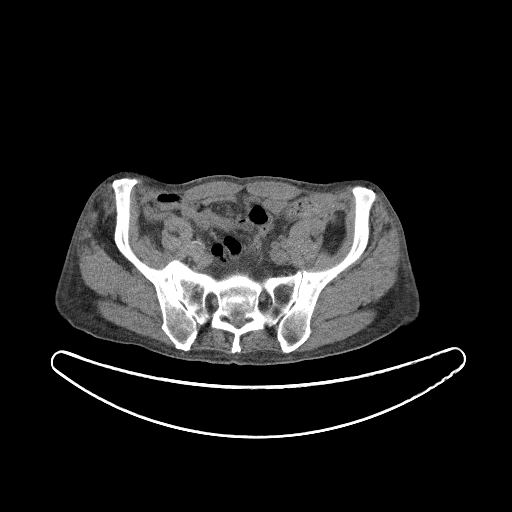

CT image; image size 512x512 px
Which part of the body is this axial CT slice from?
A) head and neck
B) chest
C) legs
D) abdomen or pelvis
Answer: D) abdomen or pelvis
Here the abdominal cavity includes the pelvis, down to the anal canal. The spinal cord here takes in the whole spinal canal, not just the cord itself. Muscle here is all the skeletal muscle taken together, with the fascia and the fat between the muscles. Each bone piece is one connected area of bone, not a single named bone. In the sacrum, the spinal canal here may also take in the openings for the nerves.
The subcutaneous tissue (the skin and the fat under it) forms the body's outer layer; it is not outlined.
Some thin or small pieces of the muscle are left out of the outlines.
{"muscle":[[[136,177],[141,177],[151,187],[165,190],[187,189],[213,180],[226,180],[240,184],[256,180],[273,180],[319,192],[331,192],[352,185],[351,192],[354,200],[352,241],[346,254],[332,266],[320,270],[298,269],[291,262],[287,249],[290,228],[299,220],[314,216],[320,217],[324,221],[321,246],[330,253],[334,253],[340,246],[346,232],[345,213],[342,209],[326,207],[307,193],[302,193],[292,199],[274,199],[254,195],[243,188],[227,195],[190,198],[179,192],[162,191],[139,206],[140,232],[147,235],[161,249],[163,247],[161,234],[166,217],[176,216],[185,220],[190,225],[192,232],[185,262],[174,258],[162,267],[156,268],[140,259],[130,244],[131,192],[139,182]],[[108,183],[111,183],[115,206],[113,242],[118,251],[153,285],[162,319],[160,328],[172,342],[174,347],[119,326],[102,317],[97,312],[96,305],[94,303],[94,300],[98,296],[85,285],[81,278],[77,255],[78,238],[94,197],[101,192]],[[376,193],[381,197],[398,229],[401,258],[397,272],[397,280],[376,304],[377,314],[373,321],[366,327],[333,343],[325,344],[311,350],[292,352],[302,345],[312,332],[311,319],[322,290],[341,272],[358,260],[366,249],[370,237],[370,213],[377,197]],[[207,323],[214,329],[223,330],[233,335],[230,347],[230,353],[231,354],[235,354],[239,353],[242,350],[240,344],[240,338],[242,335],[251,331],[262,330],[265,326],[269,328],[276,326],[275,337],[282,353],[267,350],[234,355],[228,354],[224,351],[190,350],[198,335],[198,326]]],"bones":[{"outer":[[123,177],[138,180],[128,230],[137,257],[218,279],[332,267],[353,241],[352,188],[376,197],[365,249],[321,290],[296,349],[283,353],[277,326],[265,325],[231,353],[234,335],[207,322],[185,351],[161,328],[154,285],[114,242],[112,182]],"holes":[[[263,292],[266,292],[268,294],[268,296],[270,298],[270,307],[268,309],[265,309],[264,310],[262,310],[259,307],[259,297],[261,295],[261,294]],[[211,294],[213,294],[215,296],[215,297],[216,298],[216,308],[214,310],[214,311],[212,313],[209,313],[207,311],[207,306],[206,305],[206,302],[207,301],[207,298]],[[234,317],[236,317],[237,318],[240,318],[241,317],[242,318],[243,318],[244,319],[247,319],[247,320],[240,327],[236,327],[234,325],[233,325],[229,321],[229,320],[230,320],[231,319],[232,319]]]}],"torso":[[[123,170],[139,171],[169,183],[223,173],[237,176],[273,175],[312,183],[353,178],[369,180],[382,189],[402,224],[420,296],[419,315],[410,325],[361,348],[274,365],[183,360],[138,345],[96,338],[76,329],[55,308],[56,284],[86,200],[106,177]]],"abdominal_cavity":[[[243,189],[274,200],[307,194],[342,210],[339,246],[334,252],[322,246],[325,221],[314,215],[289,228],[293,273],[259,280],[239,271],[218,278],[194,270],[186,263],[189,222],[166,216],[161,248],[141,232],[140,206],[162,192],[203,199]]],"spinal_cord":[[[263,292],[266,292],[268,294],[268,296],[270,298],[270,307],[268,309],[265,309],[264,310],[262,310],[259,307],[259,297],[261,295],[261,294]],[[211,294],[213,294],[215,296],[215,297],[216,298],[216,308],[214,310],[214,311],[212,313],[209,313],[207,311],[207,306],[206,305],[206,302],[207,301],[207,298]],[[234,317],[236,317],[237,318],[240,318],[241,317],[242,318],[243,318],[244,319],[247,319],[247,320],[240,327],[236,327],[234,325],[233,325],[229,321],[229,320],[230,320],[231,319],[232,319]]]}